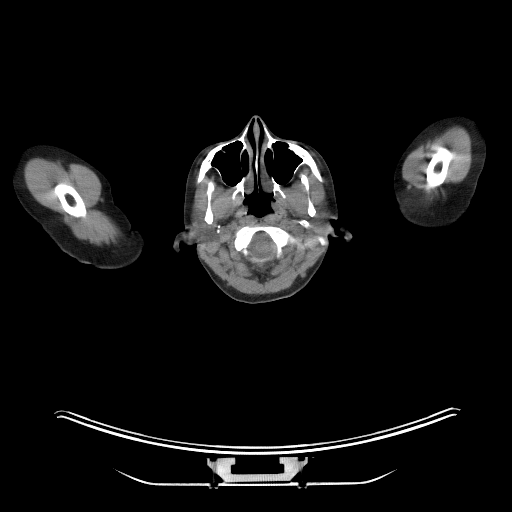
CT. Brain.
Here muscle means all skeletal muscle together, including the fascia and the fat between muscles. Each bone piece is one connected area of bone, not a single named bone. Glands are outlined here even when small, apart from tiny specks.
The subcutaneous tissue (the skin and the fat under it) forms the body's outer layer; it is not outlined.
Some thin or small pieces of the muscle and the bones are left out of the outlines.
Outlines:
left arm: [[447,114],[463,114],[468,116],[474,122],[486,145],[485,163],[482,172],[478,179],[476,189],[471,199],[470,204],[461,218],[452,225],[442,229],[420,228],[412,225],[404,219],[398,209],[393,190],[394,170],[401,154],[412,139],[429,123],[437,118]]
parotid glands 1: [[192,207],[194,207],[198,211],[201,212],[204,215],[203,216],[203,220],[214,232],[214,237],[211,240],[209,240],[206,242],[200,242],[198,241],[197,236],[196,235],[196,232],[194,229],[194,227],[192,225],[192,221],[191,220],[191,212],[192,211]]
parotid glands 2: [[325,201],[327,201],[328,202],[328,209],[329,210],[329,215],[327,217],[326,217],[323,220],[323,222],[324,223],[324,227],[319,227],[315,223],[315,219],[314,218],[314,217],[316,215],[316,214],[317,213],[317,211],[319,209],[320,206]]
right arm: [[37,143],[48,143],[63,147],[85,159],[104,174],[110,183],[114,202],[127,215],[132,227],[141,232],[144,238],[144,249],[137,260],[119,269],[100,269],[89,264],[81,263],[64,253],[40,225],[28,215],[14,192],[12,178],[23,150]]
muscle 1: [[209,149],[199,165],[195,183],[199,184],[213,169],[232,186],[230,198],[233,201],[239,194],[247,212],[258,217],[272,211],[272,198],[277,194],[286,197],[282,186],[302,166],[307,166],[323,183],[309,151],[320,162],[327,179],[327,200],[317,210],[309,195],[308,176],[301,171],[298,177],[307,194],[306,212],[319,228],[324,228],[322,234],[302,243],[278,225],[261,223],[245,224],[233,234],[234,250],[253,264],[280,260],[290,244],[301,249],[316,243],[323,246],[305,276],[289,288],[261,295],[241,293],[226,286],[201,257],[202,245],[198,242],[206,243],[215,237],[209,225],[214,220],[215,184],[212,180],[206,182],[204,214],[192,206],[192,183],[197,162]] with a hole at [[301,219],[304,219],[305,220],[306,220],[307,221],[308,221],[310,223],[310,224],[311,225],[311,226],[310,227],[308,227],[307,228],[306,228],[305,227],[304,227],[301,224],[300,224],[298,222],[298,220],[300,220]]
muscle 2: [[33,157],[79,163],[88,167],[96,174],[101,183],[101,193],[106,207],[113,215],[114,221],[122,233],[116,243],[106,246],[94,246],[84,242],[77,238],[56,214],[40,204],[31,195],[24,180],[23,169],[25,163]] with a hole at [[60,182],[65,182],[66,183],[68,183],[72,185],[78,192],[78,193],[82,198],[84,202],[85,207],[86,208],[86,215],[84,217],[75,217],[74,216],[72,216],[67,212],[66,212],[62,208],[61,203],[58,197],[53,192],[53,189],[54,187]]
muscle 3: [[456,124],[463,126],[468,131],[472,140],[473,160],[467,175],[462,181],[447,194],[429,197],[428,198],[424,198],[416,195],[408,187],[405,180],[401,175],[402,166],[406,157],[420,143],[425,141],[428,138],[433,137],[443,131],[446,128]], around a hole outlined by [[442,146],[443,147],[445,147],[445,148],[452,154],[452,157],[453,159],[452,159],[449,163],[449,165],[447,169],[447,174],[443,183],[435,188],[433,187],[426,180],[426,174],[425,173],[425,169],[431,158],[431,155],[435,151],[436,148],[439,148]]
head: [[254,114],[277,136],[304,142],[321,154],[338,209],[338,218],[330,223],[335,230],[344,225],[352,239],[329,235],[320,267],[297,293],[246,303],[212,281],[194,244],[182,242],[175,252],[173,240],[184,228],[185,183],[194,158],[206,146],[233,138]], around holes outlined by [[236,142],[241,143],[238,158],[240,161],[242,159],[243,153],[246,152],[248,167],[247,171],[241,176],[240,179],[235,184],[228,185],[222,178],[222,174],[220,170],[213,164],[213,161],[219,152],[224,151],[224,148],[226,146]] and by [[278,142],[284,143],[287,146],[287,149],[295,156],[299,158],[299,162],[294,167],[289,181],[285,184],[279,183],[275,178],[269,173],[265,161],[265,156],[267,150],[269,150],[270,152],[273,154],[274,153],[274,147],[273,146],[274,144],[276,144]] and by [[255,180],[257,182],[257,185],[260,188],[262,188],[265,192],[271,193],[272,195],[270,202],[271,211],[265,213],[261,216],[258,216],[252,213],[249,213],[248,212],[248,205],[244,201],[246,194],[249,194],[252,191],[253,189],[253,182]] and by [[251,123],[252,123],[252,134],[253,135],[253,141],[254,142],[254,148],[253,147],[253,146],[252,145],[252,144],[251,143],[251,142],[250,141],[250,140],[248,138],[248,130],[249,129],[249,126],[251,124]] and by [[258,121],[260,121],[260,123],[262,125],[262,130],[263,131],[263,135],[261,137],[261,134],[260,133],[260,126],[259,125],[259,123],[258,122]]
bones 1: [[255,121],[261,138],[261,121],[273,137],[291,140],[307,150],[324,181],[305,164],[292,177],[300,158],[278,141],[273,153],[266,150],[264,161],[285,197],[273,196],[269,183],[265,191],[255,179],[250,192],[245,186],[243,199],[239,193],[233,200],[233,186],[249,167],[248,154],[244,151],[240,160],[242,143],[236,141],[212,161],[221,177],[211,168],[196,183],[207,153],[238,137],[247,124],[247,138],[255,148]]
bones 2: [[256,224],[278,226],[298,238],[302,244],[317,235],[322,235],[325,231],[327,245],[324,246],[316,242],[311,247],[301,248],[290,243],[283,248],[283,256],[280,259],[274,258],[264,263],[253,263],[235,250],[233,240],[238,229],[245,225]], around a hole outlined by [[261,232],[265,234],[271,240],[271,241],[273,243],[274,245],[274,250],[273,251],[273,253],[272,252],[266,255],[255,255],[254,254],[252,254],[250,252],[249,250],[249,245],[251,243],[254,236],[255,236],[256,234],[258,233],[260,233]]
bones 3: [[442,146],[443,147],[445,147],[445,148],[452,154],[452,157],[453,159],[452,159],[449,163],[449,165],[447,169],[447,174],[443,183],[435,188],[433,187],[426,180],[426,174],[425,173],[425,169],[431,158],[431,155],[435,151],[436,148],[439,148]]
bones 4: [[60,182],[65,182],[66,183],[68,183],[72,185],[78,192],[78,193],[82,198],[84,202],[85,207],[86,208],[86,215],[84,217],[75,217],[74,216],[72,216],[67,212],[66,212],[62,208],[61,203],[58,197],[53,192],[53,189],[54,187]]
bones 5: [[208,181],[212,181],[214,184],[214,189],[211,194],[211,210],[212,211],[212,213],[213,214],[213,220],[210,224],[207,223],[204,220],[204,216],[205,215],[205,212],[206,211],[206,209],[207,208],[207,193],[206,192],[206,191],[207,190],[207,182]]
bones 6: [[301,172],[303,172],[307,176],[308,179],[308,185],[309,186],[309,192],[308,195],[316,210],[315,215],[312,217],[310,216],[307,212],[307,207],[308,206],[308,200],[307,197],[308,194],[305,190],[305,187],[301,183],[299,177],[299,173]]
brain: [[261,232],[265,234],[271,240],[271,241],[273,243],[274,245],[274,250],[273,251],[273,253],[272,252],[266,255],[255,255],[254,254],[252,254],[250,252],[249,250],[249,245],[251,243],[254,236],[255,236],[256,234],[258,233],[260,233]]